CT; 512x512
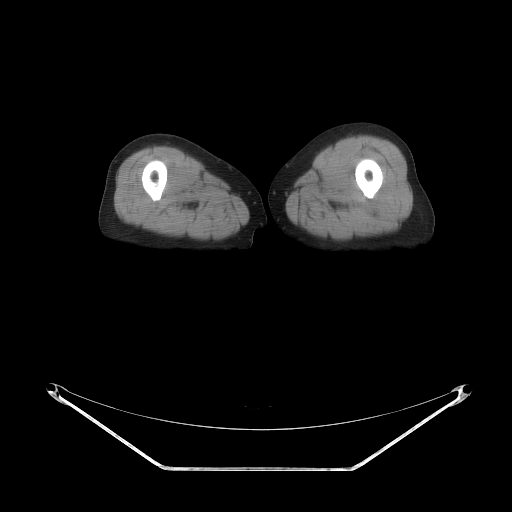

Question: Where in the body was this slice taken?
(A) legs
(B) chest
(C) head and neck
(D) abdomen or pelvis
Answer: (A) legs
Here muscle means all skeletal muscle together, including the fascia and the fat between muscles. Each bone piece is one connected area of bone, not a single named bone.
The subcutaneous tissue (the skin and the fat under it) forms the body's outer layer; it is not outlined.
The right leg is outlined by 153,132 168,132 190,139 237,167 251,180 261,195 267,223 265,228 255,232 252,245 248,250 184,251 178,249 167,252 137,251 118,245 106,239 102,235 98,226 98,211 108,166 114,155 126,143 138,136. The muscle appears in 2 outlined pieces: piece 1: 357,134 370,134 385,138 394,143 400,149 406,160 413,188 412,215 406,225 397,233 394,233 374,240 334,241 331,239 322,239 313,236 291,223 286,215 285,200 292,181 311,156 316,152 326,145 344,136, around a hole outlined by 363,158 371,158 375,161 376,161 380,166 381,168 381,170 382,171 382,173 383,174 383,180 382,181 381,186 372,198 368,198 363,194 361,190 358,187 356,183 356,181 355,180 355,166 356,164 361,159; piece 2: 152,145 169,145 181,149 184,152 202,162 207,168 231,186 242,198 250,212 249,221 243,231 235,238 223,242 194,241 167,237 137,230 120,221 115,213 113,206 113,195 115,190 116,172 125,158 139,149; inner edge: 154,159 158,159 159,160 161,160 165,164 167,168 167,180 166,181 166,184 162,192 162,195 160,199 156,201 154,201 144,190 142,185 142,182 141,181 141,175 142,174 142,171 144,166 149,161. The bones appear in 2 outlined pieces: piece 1: 363,158 371,158 375,161 376,161 380,166 381,168 381,170 382,171 382,173 383,174 383,180 382,181 381,186 372,198 368,198 363,194 361,190 358,187 356,183 356,181 355,180 355,166 356,164 361,159; piece 2: 154,159 158,159 159,160 161,160 165,164 167,168 167,180 166,181 166,184 162,192 162,195 160,199 156,201 154,201 144,190 142,185 142,182 141,181 141,175 142,174 142,171 144,166 149,161. The left leg is outlined by 350,121 372,121 383,124 397,133 410,148 418,179 432,204 435,216 434,233 428,245 413,251 392,249 376,253 355,251 344,253 323,252 307,248 291,239 276,225 267,199 269,186 276,172 318,133 334,125.